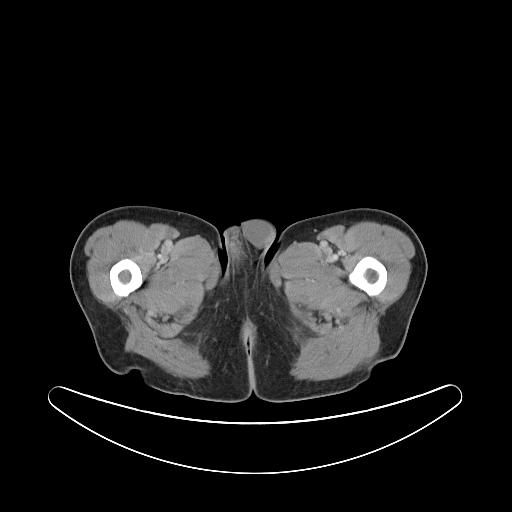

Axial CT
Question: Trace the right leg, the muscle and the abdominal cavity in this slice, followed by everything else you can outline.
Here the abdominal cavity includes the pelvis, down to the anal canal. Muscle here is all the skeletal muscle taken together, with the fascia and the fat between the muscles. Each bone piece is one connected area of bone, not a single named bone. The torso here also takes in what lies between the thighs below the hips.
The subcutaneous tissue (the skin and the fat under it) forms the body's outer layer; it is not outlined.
Answer: Outlines (x, y in pixels):
right leg: (124, 205) (150, 205) (183, 211) (217, 228) (222, 243) (219, 251) (221, 265) (225, 266) (246, 300) (247, 317) (237, 340) (249, 364) (251, 394) (246, 400) (220, 402) (163, 392) (146, 385) (135, 369) (118, 374) (103, 363) (73, 292) (69, 261) (84, 226) (96, 215)
muscle 1: (354, 219) (393, 225) (410, 238) (415, 248) (415, 256) (406, 290) (380, 319) (378, 326) (381, 341) (380, 350) (361, 369) (333, 379) (318, 381) (295, 380) (288, 373) (293, 354) (297, 351) (289, 331) (289, 310) (270, 279) (270, 267) (280, 252) (305, 234) with a hole at (364, 256) (372, 256) (376, 258) (385, 266) (386, 270) (387, 271) (387, 280) (386, 281) (386, 284) (384, 288) (377, 295) (375, 295) (374, 296) (370, 296) (368, 295) (363, 290) (353, 285) (348, 280) (348, 275) (350, 273) (350, 272) (352, 271) (357, 262)
muscle 2: (124, 218) (149, 219) (194, 229) (213, 248) (221, 270) (218, 285) (183, 335) (186, 340) (199, 345) (202, 354) (211, 363) (213, 372) (210, 376) (182, 379) (165, 372) (140, 355) (125, 352) (123, 347) (127, 332) (124, 326) (92, 294) (83, 263) (84, 242) (94, 229) with a hole at (123, 258) (129, 258) (133, 260) (139, 266) (141, 271) (141, 274) (142, 275) (142, 280) (143, 281) (142, 282) (142, 284) (138, 288) (132, 291) (127, 296) (119, 296) (117, 295) (114, 292) (111, 286) (111, 284) (110, 283) (110, 279) (109, 278) (109, 271) (112, 265)
muscle 3: (247, 319) (250, 319) (256, 326) (256, 335) (257, 336) (257, 340) (256, 341) (256, 343) (255, 344) (254, 347) (251, 347) (250, 346) (247, 346) (246, 345) (245, 345) (241, 340) (241, 338) (240, 337) (240, 335) (239, 334) (240, 333) (240, 329) (241, 328) (243, 323); inner edge: (246, 327) (247, 327) (248, 327) (249, 327) (250, 328) (250, 329) (251, 330) (252, 330) (252, 331) (252, 332) (252, 333) (252, 334) (251, 334) (250, 334) (249, 334) (248, 334) (247, 334) (246, 333) (245, 332) (245, 331) (245, 330) (245, 329) (245, 328)
abdominal cavity: (246, 327) (247, 327) (248, 327) (249, 327) (250, 328) (250, 329) (251, 330) (252, 330) (252, 331) (252, 332) (252, 333) (252, 334) (251, 334) (250, 334) (249, 334) (248, 334) (247, 334) (246, 333) (245, 332) (245, 331) (245, 330) (245, 329) (245, 328)
left leg: (355, 207) (372, 207) (394, 213) (412, 227) (424, 248) (427, 274) (404, 344) (395, 357) (378, 364) (366, 381) (351, 390) (297, 401) (262, 400) (252, 393) (251, 388) (250, 369) (256, 351) (258, 328) (248, 318) (245, 296) (276, 250) (277, 237) (283, 229) (302, 219)
torso 1: (253, 216) (264, 217) (272, 221) (276, 227) (276, 234) (275, 235) (275, 238) (266, 252) (266, 255) (265, 256) (266, 261) (264, 266) (244, 296) (226, 269) (227, 255) (225, 249) (225, 238) (223, 235) (223, 230) (225, 227) (228, 225) (237, 224) (243, 219) (252, 217)
torso 2: (247, 318) (257, 328) (257, 334) (256, 335) (256, 344) (255, 345) (255, 351) (254, 352) (254, 355) (253, 356) (253, 358) (251, 362) (250, 368) (250, 364) (247, 360) (241, 348) (241, 346) (238, 341) (239, 339) (240, 329) (243, 325) (243, 324) (247, 320)
bones 1: (364, 256) (372, 256) (376, 258) (385, 266) (386, 270) (387, 271) (387, 280) (386, 281) (386, 284) (384, 288) (377, 295) (375, 295) (374, 296) (370, 296) (368, 295) (363, 290) (353, 285) (348, 280) (348, 275) (350, 273) (350, 272) (352, 271) (357, 262)
bones 2: (123, 258) (129, 258) (133, 260) (139, 266) (141, 271) (141, 274) (142, 275) (142, 280) (143, 281) (142, 282) (142, 284) (138, 288) (132, 291) (127, 296) (119, 296) (117, 295) (114, 292) (111, 286) (111, 284) (110, 283) (110, 279) (109, 278) (109, 271) (112, 265)